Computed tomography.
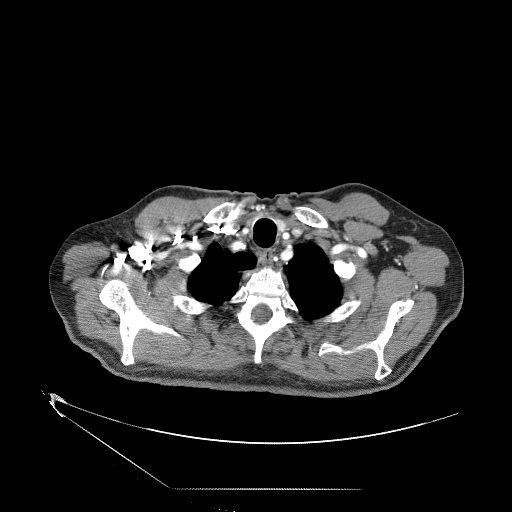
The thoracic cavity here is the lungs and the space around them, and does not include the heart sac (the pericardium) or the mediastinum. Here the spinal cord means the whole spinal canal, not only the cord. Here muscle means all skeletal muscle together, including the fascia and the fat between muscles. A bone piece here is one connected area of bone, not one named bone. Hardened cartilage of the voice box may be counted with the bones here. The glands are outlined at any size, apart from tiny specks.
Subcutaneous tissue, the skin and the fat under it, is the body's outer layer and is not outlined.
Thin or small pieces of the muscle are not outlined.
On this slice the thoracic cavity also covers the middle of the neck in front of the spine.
Outlined structures:
muscle: (349, 192) (369, 194) (390, 212) (379, 248) (384, 266) (410, 246) (397, 236) (436, 246) (449, 259) (435, 322) (391, 377) (384, 350) (414, 305) (410, 297) (390, 304) (374, 339) (348, 349) (327, 340) (319, 345) (320, 357) (372, 350) (372, 381) (320, 383) (259, 365) (265, 341) (285, 326) (302, 318) (340, 322) (362, 303) (341, 302) (342, 284) (356, 273) (356, 263) (330, 261) (301, 227) (265, 209) (228, 222) (203, 255) (181, 257) (177, 267) (190, 295) (171, 295) (173, 308) (188, 318) (237, 305) (233, 316) (254, 342) (252, 363) (223, 374) (126, 369) (110, 358) (104, 342) (76, 327) (62, 279) (64, 253) (92, 241) (121, 248) (130, 241) (134, 218) (160, 196) (253, 196) (270, 204) (280, 197) (337, 201); inner edges: (114, 278) (120, 279) (127, 284) (134, 301) (147, 316) (158, 324) (171, 327) (182, 338) (167, 333) (159, 334) (141, 329) (133, 341) (132, 354) (135, 362) (124, 365) (120, 360) (122, 353) (119, 332) (120, 318) (114, 310) (106, 307) (99, 299) (99, 292) (105, 282), then (226, 201) (237, 201) (238, 202) (239, 201) (241, 201) (243, 204) (243, 210) (244, 211) (244, 213) (243, 214) (238, 216) (234, 219) (230, 219) (226, 222) (222, 222) (221, 221) (211, 221) (210, 222) (205, 222) (203, 221) (203, 219) (206, 215) (206, 214) (212, 208), then (296, 205) (304, 205) (305, 206) (307, 206) (308, 207) (317, 211) (326, 219) (326, 220) (327, 221) (327, 223) (328, 224) (327, 227) (314, 227) (313, 226) (311, 226) (308, 224) (306, 224) (305, 223) (300, 221) (298, 219) (297, 219) (293, 215) (293, 207)
thoracic cavity: (264, 216) (273, 220) (280, 233) (288, 226) (297, 226) (321, 247) (341, 284) (340, 304) (318, 318) (303, 318) (282, 272) (267, 265) (256, 267) (247, 280) (217, 307) (191, 295) (187, 288) (188, 276) (199, 265) (219, 232) (228, 223) (234, 222) (245, 222) (250, 227)
torso: (346, 182) (372, 186) (437, 223) (431, 237) (432, 256) (448, 277) (464, 282) (457, 316) (399, 384) (343, 398) (164, 386) (116, 376) (70, 341) (50, 297) (48, 272) (67, 271) (83, 259) (89, 246) (84, 224) (115, 215) (150, 191) (171, 184) (249, 191) (271, 198)
thyroid glands: (258, 210) (265, 210) (269, 212) (272, 215) (277, 216) (284, 220) (287, 224) (287, 227) (286, 229) (284, 231) (280, 232) (279, 231) (277, 224) (274, 221) (274, 220) (268, 215) (264, 215) (263, 216) (259, 217) (256, 219) (250, 226) (247, 226) (246, 225) (246, 220)
bones 1: (265, 266) (281, 272) (289, 294) (296, 304) (301, 318) (298, 319) (295, 324) (287, 324) (272, 333) (264, 341) (261, 352) (261, 362) (255, 364) (252, 361) (255, 349) (254, 339) (234, 316) (234, 310) (238, 305) (223, 304) (237, 291) (240, 285) (248, 280) (256, 268), around a hole outlined by (259, 304) (264, 304) (265, 305) (266, 305) (270, 309) (270, 310) (271, 311) (271, 316) (266, 321) (265, 321) (262, 323) (258, 323) (257, 322) (256, 322) (255, 321) (254, 321) (252, 318) (252, 311) (253, 310) (253, 309) (257, 305) (258, 305)
bones 2: (114, 278) (120, 279) (127, 284) (134, 301) (147, 316) (158, 324) (171, 327) (182, 338) (167, 333) (159, 334) (141, 329) (133, 341) (132, 354) (135, 362) (124, 365) (120, 360) (122, 353) (119, 332) (120, 318) (114, 310) (106, 307) (99, 299) (99, 292) (105, 282)
bones 3: (407, 298) (413, 300) (413, 305) (396, 322) (384, 347) (384, 361) (392, 370) (382, 379) (374, 378) (377, 357) (372, 349) (362, 349) (346, 355) (334, 351) (320, 356) (318, 354) (320, 345) (324, 341) (340, 345) (348, 350) (374, 340) (384, 327) (391, 304) (396, 300)
bones 4: (226, 201) (237, 201) (238, 202) (239, 201) (241, 201) (243, 204) (243, 210) (244, 211) (244, 213) (243, 214) (238, 216) (234, 219) (230, 219) (226, 222) (222, 222) (221, 221) (211, 221) (210, 222) (205, 222) (203, 221) (203, 219) (206, 215) (206, 214) (212, 208)
bones 5: (174, 293) (185, 294) (186, 295) (191, 296) (199, 301) (206, 302) (211, 304) (212, 305) (212, 307) (207, 309) (205, 311) (199, 314) (191, 314) (189, 315) (188, 317) (188, 316) (184, 312) (178, 308) (174, 308) (173, 306) (173, 303) (172, 302) (172, 295)
bones 6: (296, 205) (304, 205) (305, 206) (307, 206) (308, 207) (317, 211) (326, 219) (326, 220) (327, 221) (327, 223) (328, 224) (327, 227) (314, 227) (313, 226) (311, 226) (308, 224) (306, 224) (305, 223) (300, 221) (298, 219) (297, 219) (293, 215) (293, 207)
bones 7: (353, 299) (360, 299) (361, 300) (361, 303) (360, 305) (356, 309) (356, 310) (345, 319) (343, 320) (341, 320) (340, 321) (337, 321) (336, 322) (324, 322) (323, 321) (320, 321) (318, 320) (319, 318) (331, 312) (336, 307) (340, 305) (342, 302) (349, 301)
bones 8: (335, 259) (342, 259) (346, 262) (348, 261) (352, 261) (355, 264) (357, 265) (356, 267) (356, 270) (355, 271) (355, 273) (348, 280) (347, 280) (343, 283) (341, 283) (340, 282) (340, 280) (338, 276) (335, 273) (333, 269) (333, 265) (331, 261)
bones 9: (194, 253) (196, 253) (200, 257) (201, 260) (200, 261) (200, 262) (198, 264) (198, 265) (188, 275) (187, 275) (186, 274) (186, 273) (184, 271) (183, 271) (178, 267) (178, 261) (181, 258) (183, 258) (184, 257) (187, 257) (188, 256) (190, 256) (191, 255) (192, 255)
left arm: (439, 225) (440, 225) (450, 235) (460, 253) (460, 255) (462, 258) (462, 261) (463, 262) (463, 266) (464, 267) (464, 281) (457, 280) (456, 279) (454, 279) (448, 276) (438, 266) (433, 256) (433, 253) (432, 252) (432, 237) (433, 236) (433, 233) (435, 229)
spinal cord: (259, 304) (264, 304) (265, 305) (266, 305) (270, 309) (270, 310) (271, 311) (271, 316) (266, 321) (265, 321) (262, 323) (258, 323) (257, 322) (256, 322) (255, 321) (254, 321) (252, 318) (252, 311) (253, 310) (253, 309) (257, 305) (258, 305)
right arm: (82, 225) (84, 225) (88, 235) (88, 246) (87, 247) (87, 250) (83, 256) (82, 259) (75, 266) (67, 270) (61, 271) (60, 272) (50, 272) (49, 271) (49, 267) (50, 266) (50, 264) (55, 254) (57, 252) (58, 249) (60, 247) (63, 241) (72, 231)